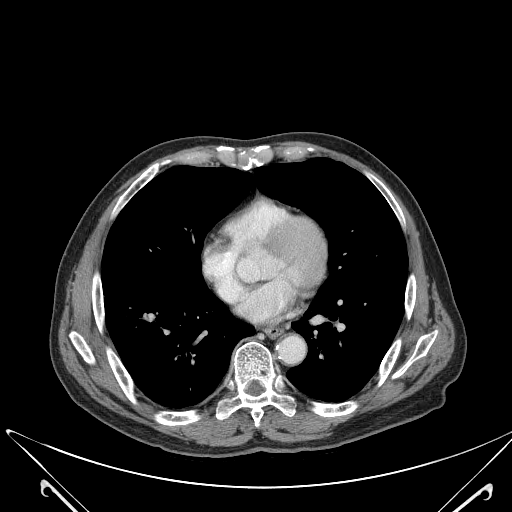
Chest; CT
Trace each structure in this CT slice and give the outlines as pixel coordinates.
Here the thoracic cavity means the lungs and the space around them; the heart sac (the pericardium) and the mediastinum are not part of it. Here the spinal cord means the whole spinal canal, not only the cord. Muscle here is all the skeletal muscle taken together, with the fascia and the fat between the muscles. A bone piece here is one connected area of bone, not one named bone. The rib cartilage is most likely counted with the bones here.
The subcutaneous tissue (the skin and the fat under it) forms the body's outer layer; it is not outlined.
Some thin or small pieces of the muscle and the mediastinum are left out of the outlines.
{"torso":[[[288,131],[325,132],[359,144],[397,174],[417,200],[442,256],[467,335],[465,362],[445,390],[445,403],[419,418],[333,448],[220,458],[182,455],[148,445],[78,406],[53,369],[49,328],[61,256],[94,196],[127,161],[157,143],[195,135],[249,139]]],"muscle":[{"outer":[[283,141],[304,141],[344,153],[379,174],[399,196],[414,221],[424,262],[454,326],[455,345],[447,364],[414,393],[350,419],[330,435],[302,441],[278,441],[257,432],[239,445],[197,444],[163,433],[96,401],[67,371],[59,351],[58,329],[66,286],[72,266],[81,256],[85,242],[116,190],[146,166],[118,196],[111,209],[100,269],[93,272],[90,285],[94,322],[101,335],[106,327],[115,349],[108,344],[104,346],[107,362],[133,405],[139,404],[137,388],[159,406],[151,415],[156,423],[183,426],[199,421],[204,414],[197,407],[212,401],[216,419],[227,419],[237,410],[247,408],[254,426],[259,428],[264,407],[269,405],[292,417],[297,411],[296,394],[309,398],[305,400],[311,412],[331,418],[354,412],[360,402],[353,398],[374,375],[376,389],[384,383],[402,346],[402,337],[397,334],[400,324],[403,317],[407,321],[411,319],[416,302],[417,281],[415,273],[409,272],[404,213],[388,186],[369,170],[360,172],[330,157],[307,157],[316,151],[311,145],[275,148],[270,143]],"holes":[[[435,329],[438,329],[438,334],[435,340],[429,348],[427,352],[427,354],[414,361],[401,376],[394,379],[391,378],[391,375],[392,375],[393,373],[394,373],[395,371],[396,371],[410,357],[414,350],[415,344],[419,337],[423,334],[428,333]],[[72,330],[74,330],[78,332],[83,337],[83,338],[89,346],[95,358],[95,360],[96,361],[96,362],[94,364],[91,365],[87,363],[83,359],[83,358],[80,355],[80,354],[77,351],[77,350],[73,345],[69,337],[69,332]]]},[[199,145],[216,145],[211,149],[202,149],[201,150],[192,150],[191,151],[187,151],[186,152],[180,153],[172,157],[166,157],[160,160],[154,161],[149,164],[156,159],[165,155],[171,153],[174,153],[179,150],[185,148],[190,148]]],"thoracic_cavity":[[[309,157],[361,173],[403,233],[403,316],[376,373],[340,402],[286,378],[308,355],[291,324],[329,274],[328,239],[253,181],[207,232],[200,260],[207,287],[255,332],[236,344],[213,400],[161,408],[106,326],[100,270],[112,223],[168,167],[252,175]]],"mediastinum":[[[303,312],[301,317],[292,321],[290,325],[304,338],[308,348],[307,355],[299,364],[289,368],[285,375],[274,364],[273,354],[270,349],[261,342],[252,339],[237,345],[242,339],[251,337],[255,334],[256,331],[254,326],[273,326],[281,324],[299,316]],[[253,182],[254,182],[254,184],[255,186],[259,191],[257,191],[255,193],[254,193],[253,195],[251,196],[251,197],[250,197],[248,199],[247,199],[245,201],[244,201],[242,203],[238,205],[246,197],[246,196],[249,193],[251,189],[251,187],[253,184]],[[216,224],[216,225],[213,228],[213,229],[209,233],[209,234],[207,236],[207,238],[205,240],[205,243],[204,243],[204,240],[205,239],[205,237],[206,236],[206,235],[208,233],[208,232]]],"spinal_cord":[[[252,380],[257,380],[259,382],[259,383],[263,387],[263,391],[262,392],[261,392],[258,395],[252,395],[251,394],[250,394],[249,393],[248,393],[246,391],[246,390],[247,389],[247,387],[248,386],[248,384],[249,383],[249,382],[250,382]]],"bones":[{"outer":[[252,340],[269,349],[273,364],[293,387],[297,399],[296,411],[292,416],[285,415],[273,405],[264,406],[259,427],[255,426],[250,409],[247,407],[237,409],[227,418],[218,419],[214,414],[212,404],[222,388],[224,378],[230,368],[234,349],[242,343]],"hole":[[252,380],[257,380],[259,382],[259,383],[263,387],[263,391],[262,392],[261,392],[258,395],[252,395],[251,394],[250,394],[249,393],[248,393],[246,391],[246,390],[247,389],[247,387],[248,386],[248,384],[249,383],[249,382],[250,382]]},[[262,144],[275,149],[296,145],[314,147],[315,151],[303,159],[287,161],[276,156],[271,162],[247,170],[219,163],[194,165],[173,162],[162,166],[161,171],[128,201],[114,220],[109,219],[119,196],[154,162],[187,152],[211,150],[217,145],[246,149]],[[106,345],[110,346],[116,352],[121,362],[123,364],[124,367],[131,377],[135,385],[135,392],[137,394],[137,399],[138,400],[138,404],[136,405],[133,404],[126,396],[126,395],[122,390],[121,387],[119,385],[107,359],[106,351],[105,350],[105,346]],[[195,408],[196,408],[199,412],[202,413],[203,415],[199,420],[189,423],[188,424],[184,424],[183,425],[165,425],[164,424],[161,424],[156,422],[152,418],[153,413],[159,409],[163,409],[164,410],[173,410],[174,411],[182,411],[183,410],[194,409]],[[307,399],[311,399],[315,401],[319,401],[324,403],[340,403],[350,399],[356,399],[358,400],[359,402],[359,406],[354,411],[345,415],[325,417],[324,416],[321,416],[318,414],[316,414],[311,411],[309,409],[310,405],[307,402],[306,400]],[[97,269],[100,271],[101,287],[103,294],[103,306],[105,313],[105,326],[103,330],[103,334],[101,334],[99,332],[98,327],[95,322],[94,314],[93,313],[93,307],[92,306],[92,300],[91,299],[92,277],[94,272]],[[435,329],[438,329],[438,334],[435,340],[429,348],[427,352],[427,354],[414,361],[401,376],[394,379],[391,378],[391,375],[392,375],[393,373],[394,373],[395,371],[396,371],[410,357],[414,350],[415,344],[419,337],[423,334],[428,333]],[[362,170],[367,170],[375,175],[380,180],[381,180],[391,191],[392,194],[397,201],[405,218],[405,224],[406,225],[405,231],[403,231],[402,230],[402,228],[394,212],[390,207],[389,204],[387,202],[383,195],[379,191],[379,190],[362,173]],[[397,335],[399,335],[401,337],[401,346],[399,350],[399,353],[390,371],[390,373],[385,379],[383,383],[379,387],[376,388],[375,387],[375,385],[377,382],[376,376],[377,375],[377,372],[378,371],[379,366],[386,352],[388,350],[389,347]],[[411,272],[413,272],[415,276],[415,280],[416,281],[416,293],[415,294],[415,302],[414,303],[414,306],[411,313],[411,316],[410,317],[410,319],[409,320],[407,320],[404,316],[404,302],[405,301],[405,290],[406,289],[407,279],[408,278],[409,273]],[[72,330],[74,330],[78,332],[83,337],[83,338],[89,346],[95,358],[95,360],[96,361],[96,362],[94,364],[91,365],[87,363],[83,359],[83,358],[80,355],[80,354],[77,351],[77,350],[73,345],[69,337],[69,332]]],"pericardium":[[[257,192],[301,210],[317,222],[323,230],[327,239],[327,276],[315,292],[307,307],[299,315],[273,325],[254,325],[236,316],[232,313],[229,307],[214,293],[204,279],[202,273],[201,254],[204,244],[206,243],[206,240],[210,233],[223,218],[251,198]]]}